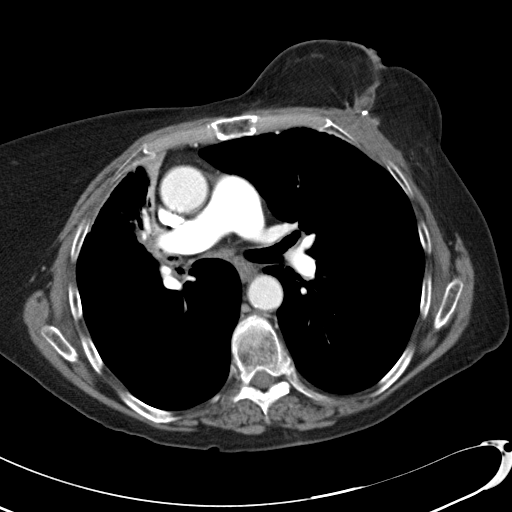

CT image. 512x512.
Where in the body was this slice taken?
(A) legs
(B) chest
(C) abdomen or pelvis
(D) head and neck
(B) chest
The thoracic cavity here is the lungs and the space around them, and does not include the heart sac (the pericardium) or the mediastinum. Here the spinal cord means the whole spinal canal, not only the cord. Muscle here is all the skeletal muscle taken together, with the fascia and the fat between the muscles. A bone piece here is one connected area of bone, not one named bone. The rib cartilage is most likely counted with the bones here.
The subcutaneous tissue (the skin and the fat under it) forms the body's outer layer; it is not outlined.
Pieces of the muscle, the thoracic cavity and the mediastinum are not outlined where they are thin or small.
{"spinal_cord":[[[260,371],[264,371],[265,372],[266,372],[269,375],[270,375],[273,378],[273,383],[271,385],[270,385],[267,388],[266,388],[265,389],[261,389],[260,388],[258,388],[257,387],[254,386],[252,384],[252,379],[253,378],[253,377],[257,372],[259,372]]],"bones":[{"outer":[[254,314],[269,321],[275,329],[301,380],[332,401],[314,400],[292,388],[289,393],[269,406],[267,420],[262,409],[247,398],[235,403],[226,398],[215,403],[209,401],[219,392],[223,395],[228,393],[231,386],[227,380],[232,360],[232,334],[240,320]],"hole":[[260,371],[264,371],[265,372],[266,372],[269,375],[270,375],[273,378],[273,383],[271,385],[270,385],[267,388],[266,388],[265,389],[261,389],[260,388],[258,388],[257,387],[254,386],[252,384],[252,379],[253,378],[253,377],[257,372],[259,372]]},[[284,113],[307,113],[327,117],[351,135],[355,145],[325,131],[307,126],[293,126],[222,141],[215,139],[213,141],[198,141],[195,144],[192,141],[164,147],[123,176],[114,178],[119,168],[143,143],[150,142],[160,136],[193,128],[223,117]],[[118,390],[127,390],[132,395],[133,395],[142,402],[158,409],[161,409],[166,411],[172,411],[175,415],[179,416],[180,418],[177,420],[171,421],[170,422],[155,422],[154,421],[152,421],[139,414],[133,409],[129,407],[118,395],[118,393],[117,392]],[[454,278],[458,278],[463,284],[461,293],[459,296],[459,298],[457,301],[455,308],[453,312],[449,317],[448,320],[439,328],[435,328],[433,326],[433,322],[434,321],[435,316],[442,302],[442,299],[444,295],[444,292],[445,291],[446,286]],[[410,344],[413,346],[414,351],[413,352],[413,355],[411,358],[411,360],[403,373],[391,385],[390,385],[382,392],[374,396],[369,396],[369,394],[378,387],[376,384],[378,381],[389,371],[389,370],[398,360],[404,351],[405,348]],[[45,325],[52,325],[56,327],[61,332],[61,333],[64,336],[64,337],[75,349],[77,353],[77,360],[76,361],[73,361],[72,362],[71,361],[69,361],[65,359],[59,353],[58,353],[57,351],[45,339],[45,338],[41,334],[41,329],[42,327]],[[80,334],[83,334],[84,335],[88,335],[90,337],[97,352],[99,354],[104,364],[104,366],[102,368],[102,370],[100,374],[99,374],[93,368],[93,367],[89,362],[85,354],[85,352],[83,349],[83,347],[81,343],[81,340],[80,339]],[[83,219],[86,221],[90,221],[92,222],[92,223],[91,224],[90,229],[86,233],[84,237],[84,239],[82,242],[76,261],[75,262],[72,262],[71,261],[71,255],[70,254],[71,253],[71,247],[72,246],[73,239],[76,233],[78,225]],[[428,274],[429,274],[431,276],[431,296],[430,297],[430,304],[429,305],[429,308],[428,309],[427,314],[425,318],[423,319],[420,315],[420,313],[419,312],[419,308],[420,307],[420,301],[421,300],[421,292],[422,291],[422,283],[423,282],[423,278]],[[386,160],[389,160],[391,161],[394,164],[395,164],[402,172],[403,175],[407,180],[409,184],[409,186],[411,189],[411,191],[413,194],[413,196],[411,198],[409,198],[407,196],[407,195],[405,193],[403,189],[386,168],[385,166],[385,161]],[[71,283],[75,285],[77,287],[78,293],[79,294],[79,297],[80,298],[80,303],[81,304],[81,310],[82,311],[82,318],[80,318],[78,320],[75,320],[74,319],[72,315],[72,313],[71,312],[70,304],[69,303],[69,296],[68,295],[68,287]],[[420,221],[423,221],[425,223],[426,227],[427,228],[427,230],[428,231],[428,233],[429,234],[429,238],[430,239],[430,243],[431,244],[431,251],[429,254],[428,254],[424,251],[422,247],[421,242],[420,241],[419,233],[418,232],[418,223]]],"torso":[[[320,38],[351,40],[371,47],[384,64],[409,69],[434,93],[442,114],[441,147],[487,222],[501,268],[510,324],[497,348],[366,429],[312,444],[232,453],[215,447],[166,446],[106,428],[0,355],[0,143],[118,110],[191,106],[236,96],[282,50]]],"mediastinum":[[[268,220],[269,243],[256,255],[263,271],[277,278],[282,286],[283,299],[276,311],[281,339],[271,322],[262,316],[254,313],[239,320],[241,281],[231,263],[217,257],[216,257],[203,257],[196,259],[193,261],[184,259],[191,260],[194,258],[208,256],[221,249],[259,248],[268,233]],[[215,140],[219,142],[201,148],[198,151],[198,155],[220,171],[227,174],[232,174],[212,174],[189,163],[171,165],[160,175],[159,178],[157,186],[156,224],[154,215],[156,183],[165,154],[165,149],[180,144],[192,142],[195,145],[198,142],[213,142]]],"pericardium":[[[183,164],[189,164],[212,175],[236,175],[244,178],[252,184],[267,204],[267,212],[268,213],[267,233],[262,244],[259,247],[221,248],[208,255],[204,255],[196,258],[194,257],[191,259],[172,257],[157,227],[158,186],[161,175],[167,169],[171,166]]],"thoracic_cavity":[[[293,127],[331,134],[384,167],[409,199],[424,252],[419,314],[406,346],[375,384],[353,393],[327,392],[299,375],[278,325],[283,286],[277,277],[264,271],[257,255],[270,243],[268,204],[247,179],[222,171],[199,155],[201,149],[223,141]],[[164,148],[155,183],[153,215],[167,250],[174,260],[193,262],[217,258],[228,262],[237,272],[241,289],[225,384],[208,400],[173,411],[152,406],[136,397],[105,365],[83,317],[76,276],[76,262],[85,237],[110,192],[122,177]]],"muscle":[{"outer":[[288,106],[347,110],[375,126],[401,152],[444,239],[453,240],[457,233],[473,266],[470,317],[455,343],[377,405],[307,430],[272,426],[259,434],[244,434],[213,426],[191,432],[159,429],[104,404],[64,377],[30,339],[22,311],[26,298],[53,278],[50,269],[60,245],[55,241],[74,205],[97,174],[141,136],[211,116],[225,116],[143,142],[116,171],[113,178],[120,179],[93,221],[83,218],[77,225],[69,254],[75,263],[76,285],[68,285],[67,295],[73,319],[83,318],[88,330],[89,335],[80,333],[79,339],[92,368],[100,375],[106,366],[126,389],[116,391],[119,398],[155,423],[177,421],[181,417],[174,411],[225,399],[231,404],[244,399],[253,402],[267,421],[270,406],[292,389],[314,401],[333,401],[302,379],[339,395],[376,385],[368,394],[374,397],[404,373],[415,351],[407,344],[418,316],[426,318],[432,296],[432,276],[424,276],[425,253],[431,253],[432,244],[426,223],[417,223],[410,184],[395,163],[386,159],[383,166],[372,159],[356,146],[351,134],[327,116],[241,114]],"holes":[[[454,278],[458,278],[463,284],[461,293],[459,296],[459,298],[457,301],[455,308],[453,312],[449,317],[448,320],[439,328],[435,328],[433,326],[433,322],[434,321],[435,316],[442,302],[442,299],[444,295],[444,292],[445,291],[446,286]],[[45,325],[52,325],[56,327],[61,332],[61,333],[64,336],[64,337],[75,349],[77,353],[77,360],[76,361],[73,361],[72,362],[71,361],[69,361],[65,359],[59,353],[58,353],[57,351],[45,339],[45,338],[41,334],[41,329],[42,327]]]}]}